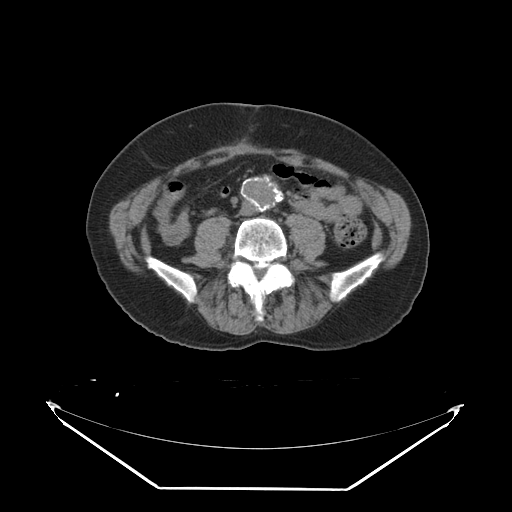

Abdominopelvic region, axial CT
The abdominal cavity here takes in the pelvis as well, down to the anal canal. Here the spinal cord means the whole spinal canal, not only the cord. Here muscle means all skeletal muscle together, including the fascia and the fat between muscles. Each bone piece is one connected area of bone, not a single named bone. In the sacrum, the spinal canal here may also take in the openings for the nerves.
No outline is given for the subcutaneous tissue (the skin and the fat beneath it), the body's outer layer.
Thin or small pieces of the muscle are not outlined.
The torso is outlined by 219,101 277,104 336,119 375,143 407,177 425,212 430,251 422,289 410,312 389,333 353,348 333,351 269,342 238,350 201,350 148,332 109,295 98,276 85,235 87,208 96,181 112,158 152,123 190,107. The muscle is outlined by 236,141 244,141 255,144 299,150 321,157 363,177 393,189 405,201 411,218 409,239 406,250 400,262 393,269 384,271 373,277 336,310 313,328 289,334 279,334 264,327 258,327 251,335 242,338 226,336 217,330 213,329 207,325 182,298 166,285 146,276 138,275 128,270 121,262 113,238 109,232 108,218 112,207 134,188 170,168 207,150; inner edge: 245,154 345,180 372,218 370,254 385,257 371,275 331,301 326,233 300,213 285,221 294,283 263,298 262,321 227,281 235,237 224,215 201,221 195,252 173,266 192,276 194,302 149,269 145,219 164,182. The abdominal cavity is outlined by 245,154 269,155 345,180 372,218 370,254 326,270 329,263 318,259 326,248 323,226 291,213 287,237 274,219 263,216 244,219 234,236 233,222 218,215 197,225 192,255 174,265 154,256 145,219 164,182. The spinal cord is outlined by 255,268 256,268 257,269 262,269 263,268 265,268 266,269 266,271 265,272 265,273 262,276 262,277 261,278 260,278 259,279 255,275 255,274 254,273 254,269. The bones appear in 3 outlined pieces: piece 1: 255,217 272,219 281,227 287,242 287,252 283,262 295,280 293,285 274,290 263,298 262,310 264,314 262,321 255,319 254,306 243,288 241,286 232,287 227,281 227,274 233,260 234,239 237,229 244,220, around a hole outlined by 255,268 256,268 257,269 262,269 263,268 265,268 266,269 266,271 265,272 265,273 262,276 262,277 261,278 260,278 259,279 255,275 255,274 254,273 254,269; piece 2: 378,251 382,251 385,257 377,267 372,271 371,275 361,284 352,289 350,292 345,296 345,297 339,301 337,302 333,302 331,301 329,297 329,291 330,290 330,282 332,278 332,274 333,272 345,270; piece 3: 148,255 151,255 171,266 190,274 192,276 197,288 197,294 194,299 194,302 192,303 189,302 180,292 177,291 173,287 168,285 161,277 158,276 155,271 152,269 149,269 147,267 147,264 145,261 145,257.